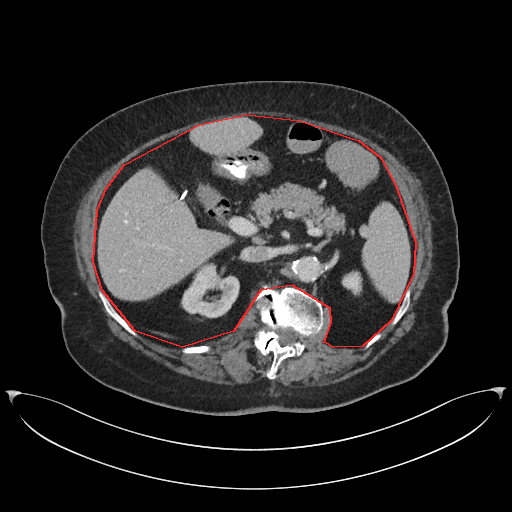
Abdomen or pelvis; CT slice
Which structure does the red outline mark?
red: abdominal cavity.
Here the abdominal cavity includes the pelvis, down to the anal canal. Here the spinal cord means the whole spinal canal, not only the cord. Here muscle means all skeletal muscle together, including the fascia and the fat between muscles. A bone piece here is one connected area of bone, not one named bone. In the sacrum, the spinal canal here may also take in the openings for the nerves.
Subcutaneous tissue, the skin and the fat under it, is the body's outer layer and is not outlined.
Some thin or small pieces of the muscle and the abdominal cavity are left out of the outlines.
{"abdominal_cavity":[[[246,114],[299,120],[358,140],[380,157],[395,185],[415,242],[413,273],[391,320],[362,346],[333,347],[324,342],[331,322],[330,308],[292,285],[260,290],[233,331],[182,347],[135,331],[102,290],[93,261],[97,210],[106,188],[124,164],[199,124]]],"muscle":[[[245,110],[292,113],[338,125],[368,137],[392,152],[418,177],[426,196],[433,226],[434,260],[414,307],[414,323],[410,330],[376,362],[357,375],[337,383],[312,388],[287,387],[270,380],[277,377],[279,366],[285,359],[299,357],[303,353],[306,345],[302,338],[321,330],[324,324],[323,305],[327,306],[330,312],[324,343],[333,348],[368,349],[382,337],[382,330],[390,322],[390,325],[394,326],[408,310],[411,302],[409,285],[416,262],[416,242],[406,209],[385,164],[372,148],[346,134],[283,116],[256,113],[224,115],[161,140],[129,159],[109,182],[97,205],[92,261],[100,286],[97,294],[106,313],[134,337],[139,334],[166,346],[181,347],[180,350],[184,354],[204,354],[211,347],[203,344],[233,332],[253,300],[260,320],[266,326],[265,329],[261,328],[254,334],[253,345],[264,356],[272,353],[270,366],[265,373],[268,379],[263,378],[246,384],[224,385],[198,380],[169,369],[116,337],[97,303],[81,283],[74,261],[73,224],[80,200],[96,178],[134,148],[156,136],[206,117]]],"spinal_cord":[[[278,328],[282,328],[283,329],[286,329],[287,328],[291,328],[294,331],[295,331],[298,333],[298,334],[299,335],[298,336],[298,338],[291,344],[286,344],[285,345],[281,345],[278,341],[278,339],[279,338],[279,335],[276,332],[276,330]]],"torso":[[[250,80],[315,81],[369,93],[401,112],[434,152],[453,200],[460,265],[447,311],[446,344],[414,378],[321,411],[208,415],[157,405],[112,389],[87,374],[69,355],[60,310],[47,285],[40,240],[44,201],[64,155],[91,126],[132,103],[183,88]]],"bones":[{"outer":[[285,286],[301,289],[317,299],[323,310],[323,324],[318,332],[301,338],[305,345],[302,353],[299,356],[285,358],[278,366],[276,377],[269,379],[266,373],[271,366],[273,353],[264,355],[254,345],[255,334],[267,328],[261,320],[254,297],[264,289]],"hole":[[278,328],[282,328],[283,329],[286,329],[287,328],[291,328],[294,331],[295,331],[298,333],[298,334],[299,335],[298,336],[298,338],[291,344],[286,344],[285,345],[281,345],[278,341],[278,339],[279,338],[279,335],[276,332],[276,330]]},[[99,288],[101,289],[101,290],[107,297],[115,310],[121,316],[121,317],[125,320],[125,321],[129,325],[129,326],[135,332],[137,333],[137,336],[134,336],[129,333],[119,323],[118,323],[107,313],[107,312],[105,310],[103,303],[98,294],[98,289]],[[408,287],[410,288],[410,302],[409,303],[408,308],[407,310],[404,313],[404,314],[400,318],[400,319],[394,325],[391,325],[391,321],[394,317],[398,308],[400,306],[402,302],[402,300],[404,297],[404,295],[406,292],[406,290],[408,288]],[[192,345],[208,345],[210,347],[210,349],[207,352],[205,352],[204,353],[184,353],[183,352],[182,352],[182,351],[181,350],[181,349],[183,347],[184,347],[185,346],[191,346]],[[381,331],[382,332],[382,335],[381,336],[381,337],[378,340],[377,340],[375,342],[374,342],[368,348],[367,348],[366,349],[363,349],[363,347],[364,346],[364,345],[375,334],[376,334],[378,332],[380,332]]]}